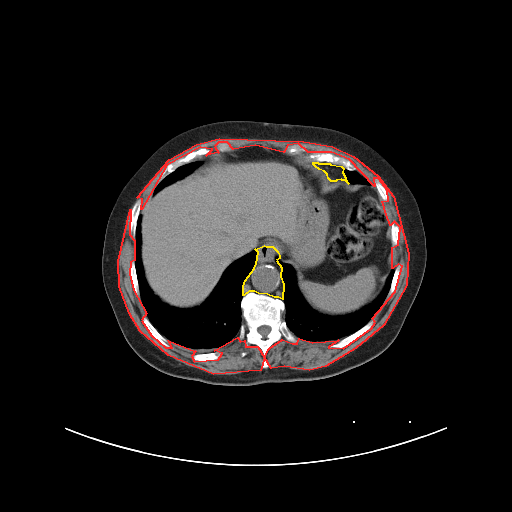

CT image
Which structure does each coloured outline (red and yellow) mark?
red: muscle; yellow: mediastinum.
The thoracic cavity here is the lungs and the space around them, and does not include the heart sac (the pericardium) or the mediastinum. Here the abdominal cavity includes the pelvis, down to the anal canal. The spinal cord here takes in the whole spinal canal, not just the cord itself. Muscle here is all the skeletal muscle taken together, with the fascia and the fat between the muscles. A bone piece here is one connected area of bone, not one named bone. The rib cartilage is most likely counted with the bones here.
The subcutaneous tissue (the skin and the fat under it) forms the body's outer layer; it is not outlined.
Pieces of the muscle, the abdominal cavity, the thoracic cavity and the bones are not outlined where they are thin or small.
{"muscle":[[[219,138],[303,141],[332,146],[353,156],[377,175],[393,196],[408,253],[406,285],[383,325],[355,348],[325,366],[309,370],[284,366],[271,368],[264,357],[260,370],[213,374],[168,355],[140,331],[129,313],[119,286],[118,261],[130,209],[129,234],[134,240],[134,260],[130,262],[129,273],[133,290],[146,313],[141,320],[151,335],[165,347],[172,347],[168,340],[195,351],[191,356],[194,361],[218,359],[222,353],[214,350],[237,337],[240,341],[244,340],[245,346],[257,346],[264,357],[269,348],[282,339],[292,343],[297,343],[299,338],[312,342],[338,340],[328,347],[343,348],[371,328],[375,322],[372,318],[395,291],[402,266],[398,264],[392,268],[392,247],[398,244],[400,227],[394,221],[390,225],[386,214],[382,201],[388,200],[387,190],[378,178],[373,178],[374,186],[349,159],[331,152],[308,152],[298,143],[287,145],[283,152],[255,145],[233,149],[227,142],[218,142],[214,146],[218,152],[206,155],[212,149],[200,147],[166,165],[141,209],[142,199],[137,197],[169,159],[196,144]]],"mediastinum":[[[264,245],[266,246],[272,246],[277,251],[279,255],[279,258],[276,260],[281,267],[280,276],[283,284],[282,299],[278,297],[274,297],[267,294],[258,293],[254,291],[249,291],[243,295],[243,286],[245,280],[254,268],[256,263],[258,252],[255,249]],[[313,162],[317,162],[318,163],[329,163],[330,164],[341,166],[343,168],[342,172],[345,177],[345,179],[348,183],[345,180],[342,180],[341,179],[336,180],[335,181],[331,181],[328,178],[327,174],[324,171],[319,169],[315,166],[313,164]]],"spinal_cord":[[[263,325],[266,325],[267,326],[268,326],[269,327],[270,327],[270,331],[266,335],[266,336],[265,337],[263,337],[262,336],[262,335],[260,333],[259,333],[258,332],[258,328],[260,326],[262,326]]],"abdominal_cavity":[[[252,146],[312,162],[331,182],[370,183],[375,188],[390,226],[393,265],[372,301],[350,313],[319,311],[302,294],[294,268],[265,244],[232,261],[195,307],[169,305],[152,291],[141,257],[144,204],[153,191],[197,168],[202,163],[197,159]]],"torso":[[[234,119],[315,125],[345,132],[365,142],[385,158],[411,190],[425,232],[425,271],[399,333],[387,349],[373,359],[321,379],[246,386],[216,385],[159,371],[140,358],[124,338],[104,289],[101,265],[107,221],[120,190],[148,156],[172,136],[201,124]]],"bones":[{"outer":[[249,292],[267,295],[283,301],[284,311],[281,314],[281,318],[285,321],[289,330],[298,338],[297,342],[292,342],[282,338],[274,342],[268,348],[264,356],[262,350],[257,345],[245,345],[245,340],[239,339],[240,327],[244,322],[241,300],[243,296]],"hole":[[263,325],[266,325],[267,326],[268,326],[269,327],[270,327],[270,331],[266,335],[266,336],[265,337],[263,337],[262,336],[262,335],[260,333],[259,333],[258,332],[258,328],[260,326],[262,326]]},[[312,152],[316,152],[317,153],[331,153],[334,155],[342,157],[347,160],[349,160],[356,167],[356,169],[355,170],[349,170],[346,168],[344,168],[341,165],[338,165],[337,164],[334,164],[329,162],[310,161],[306,158],[306,155],[308,153],[311,153]],[[200,148],[209,148],[211,149],[211,151],[210,152],[201,157],[198,157],[187,163],[185,163],[179,166],[172,172],[169,173],[165,177],[164,177],[157,184],[158,178],[161,175],[168,164],[172,163],[177,159],[184,157],[188,153],[192,151],[195,151]],[[371,319],[374,319],[374,322],[373,324],[366,332],[361,335],[357,339],[354,340],[347,345],[340,348],[338,347],[335,347],[334,348],[333,347],[329,347],[329,346],[331,344],[335,343],[342,338],[344,338],[354,333],[363,326],[364,326]],[[138,198],[140,198],[141,199],[141,205],[140,206],[140,212],[139,213],[139,215],[138,216],[138,218],[136,222],[136,227],[135,228],[135,235],[134,236],[134,239],[133,240],[131,239],[131,235],[130,234],[130,212],[131,211],[131,208],[134,202]],[[143,315],[146,316],[149,320],[149,321],[151,323],[151,324],[165,338],[166,338],[167,339],[167,341],[171,347],[167,347],[166,346],[165,346],[152,335],[152,334],[147,329],[147,328],[145,326],[145,325],[142,320],[142,316]],[[209,352],[220,352],[221,353],[221,354],[220,355],[220,356],[218,358],[217,358],[216,359],[212,359],[211,360],[207,360],[206,361],[198,361],[197,360],[194,360],[192,358],[192,356],[194,354],[196,354],[197,353],[208,353]],[[132,261],[134,261],[134,264],[135,265],[135,271],[136,272],[136,276],[137,277],[137,282],[138,283],[138,287],[139,288],[139,297],[137,296],[134,290],[134,288],[133,287],[133,284],[131,280],[131,274],[130,273],[130,266],[131,265],[131,262]],[[295,144],[298,144],[299,145],[301,145],[302,146],[303,146],[306,149],[307,152],[306,153],[298,153],[297,154],[293,154],[292,155],[290,155],[289,154],[287,154],[286,153],[285,153],[284,152],[284,149],[287,146],[290,146],[291,145],[294,145]],[[398,265],[400,265],[401,266],[400,267],[400,271],[399,272],[399,277],[398,278],[398,280],[397,281],[397,283],[396,284],[395,289],[394,291],[387,297],[388,292],[390,289],[390,286],[391,285],[391,281],[393,277],[393,273],[394,272],[394,269]],[[393,222],[394,222],[396,224],[397,224],[398,225],[398,226],[399,227],[399,237],[398,238],[398,241],[397,242],[397,244],[395,246],[392,246],[392,244],[391,243],[391,238],[390,237],[391,236],[391,224]],[[374,178],[376,178],[377,179],[378,179],[384,186],[384,187],[386,190],[386,193],[387,194],[387,200],[386,201],[384,201],[383,200],[382,200],[382,199],[380,197],[380,196],[379,195],[379,194],[376,189],[376,187],[375,186],[375,184],[374,183]]],"thoracic_cavity":[[[140,215],[140,257],[145,281],[162,302],[175,308],[189,309],[199,306],[212,293],[232,262],[256,250],[255,263],[242,286],[240,308],[243,322],[240,324],[238,335],[231,341],[213,351],[197,352],[169,340],[152,324],[140,297],[135,264],[135,236]],[[279,262],[285,262],[293,268],[297,285],[307,303],[319,312],[329,315],[350,314],[372,302],[382,291],[391,270],[393,269],[393,272],[385,299],[364,325],[340,339],[312,341],[295,335],[282,318],[285,311],[283,300],[284,284],[281,276],[282,267]],[[194,160],[200,161],[201,163],[192,171],[191,171],[186,175],[184,175],[183,177],[181,177],[179,179],[176,179],[171,183],[168,183],[157,191],[155,192],[154,191],[154,189],[156,187],[156,186],[169,174],[172,173],[179,167],[185,164],[187,164]],[[344,169],[346,169],[349,171],[356,171],[359,174],[360,174],[364,178],[365,178],[369,182],[369,184],[368,184],[367,185],[366,184],[363,184],[362,183],[351,183],[349,181],[348,181],[348,180],[347,179],[346,179],[346,177],[343,172]]]}